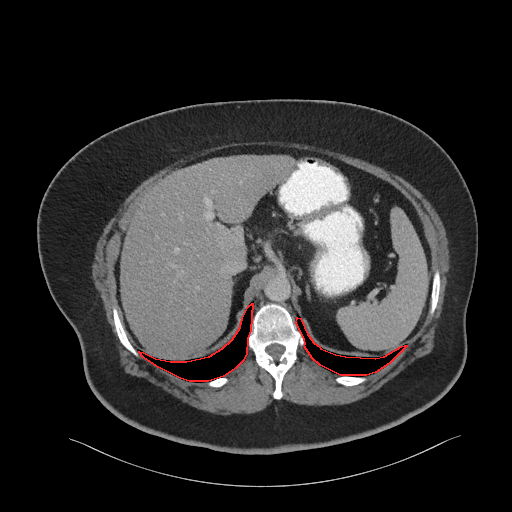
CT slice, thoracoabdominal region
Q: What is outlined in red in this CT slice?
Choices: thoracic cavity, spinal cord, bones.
A: red: thoracic cavity.
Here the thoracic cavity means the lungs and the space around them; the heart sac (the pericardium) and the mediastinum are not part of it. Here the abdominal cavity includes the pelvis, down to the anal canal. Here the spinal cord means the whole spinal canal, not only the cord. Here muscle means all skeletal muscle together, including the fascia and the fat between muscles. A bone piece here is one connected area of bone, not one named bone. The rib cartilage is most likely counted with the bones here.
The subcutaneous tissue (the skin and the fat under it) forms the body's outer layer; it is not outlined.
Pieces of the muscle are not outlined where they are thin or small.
Outlines (x, y in pixels):
thoracic cavity 1: [[252,303],[250,330],[247,338],[246,354],[242,361],[235,368],[223,376],[208,381],[189,381],[180,378],[158,367],[143,357],[139,352],[139,351],[143,352],[155,358],[170,361],[186,361],[209,356],[222,348],[232,339],[240,327],[242,318],[248,306]]
thoracic cavity 2: [[297,317],[300,318],[307,334],[314,343],[319,346],[320,348],[335,354],[345,356],[375,358],[384,356],[401,346],[404,345],[406,345],[406,346],[389,363],[375,372],[366,375],[340,375],[320,365],[312,358],[304,346],[305,344],[304,338],[296,323]]
torso: [[271,98],[335,100],[383,110],[416,125],[449,154],[471,193],[478,223],[477,264],[466,312],[467,356],[458,379],[443,397],[393,427],[313,449],[230,453],[142,431],[98,400],[84,374],[76,333],[46,285],[36,221],[54,175],[100,135],[181,106]]
muscle: [[267,140],[308,144],[344,153],[347,155],[353,157],[357,157],[373,163],[388,171],[399,175],[408,181],[419,190],[431,203],[438,213],[445,226],[446,234],[449,241],[448,245],[450,251],[450,262],[449,263],[450,267],[447,273],[447,284],[445,289],[443,307],[435,332],[434,347],[433,349],[428,354],[416,359],[411,364],[406,367],[405,369],[386,382],[374,392],[356,401],[341,405],[310,406],[309,405],[296,404],[289,401],[282,400],[281,401],[274,401],[263,410],[251,414],[235,414],[234,413],[229,415],[220,415],[195,408],[181,401],[171,394],[167,393],[159,387],[150,383],[144,378],[133,376],[126,373],[124,371],[123,368],[120,366],[119,363],[119,355],[116,348],[114,335],[112,332],[111,327],[106,319],[103,303],[97,290],[94,287],[93,282],[91,279],[91,263],[93,260],[93,255],[94,254],[96,242],[101,234],[104,226],[117,212],[120,205],[125,198],[142,181],[156,171],[178,159],[183,158],[185,156],[192,154],[194,152],[197,152],[206,148],[231,142],[266,141]] with a hole at [[253,146],[308,151],[363,170],[395,187],[422,219],[431,275],[435,269],[440,273],[437,306],[405,348],[361,383],[337,383],[339,375],[320,365],[300,345],[296,362],[283,376],[282,397],[275,399],[274,378],[257,365],[249,348],[242,361],[225,375],[227,382],[212,387],[205,381],[180,378],[135,356],[119,340],[112,313],[115,306],[123,321],[116,263],[122,235],[142,196],[155,182],[188,162],[231,148]]
bones 1: [[266,303],[279,304],[289,311],[304,342],[303,346],[300,345],[296,350],[296,362],[283,376],[281,382],[282,397],[280,399],[275,399],[272,395],[275,389],[274,378],[268,371],[257,365],[253,351],[248,348],[248,338],[251,330],[252,317],[260,306]] with a hole at [[271,344],[280,344],[281,345],[282,345],[284,347],[284,350],[283,351],[283,352],[281,354],[281,355],[278,358],[278,359],[277,360],[277,361],[276,361],[274,359],[274,358],[271,355],[270,355],[266,351],[266,347],[267,346],[268,346]]
bones 2: [[114,306],[115,306],[117,309],[118,315],[120,318],[120,320],[122,322],[127,338],[133,347],[140,354],[141,357],[137,357],[135,356],[120,342],[119,338],[117,335],[117,333],[115,330],[115,326],[114,325],[114,321],[113,320],[112,309]]
bones 3: [[435,269],[438,269],[440,273],[440,285],[439,286],[439,295],[438,296],[437,306],[434,311],[434,313],[432,315],[430,315],[428,313],[429,312],[429,309],[430,308],[430,299],[431,298],[431,291],[432,290],[432,281],[433,280],[433,274],[434,273]]
bones 4: [[339,375],[340,376],[365,376],[366,377],[366,380],[361,383],[359,383],[358,384],[356,384],[355,385],[350,385],[349,386],[347,386],[346,385],[343,385],[342,384],[340,384],[339,383],[337,383],[335,381],[335,378],[337,376],[338,376]]
bones 5: [[224,376],[225,376],[228,379],[228,380],[226,383],[225,383],[222,386],[221,386],[220,387],[212,387],[211,386],[209,386],[206,383],[206,382],[208,382],[211,380],[213,380],[214,379],[216,379],[217,378],[219,378],[220,377],[223,377]]
mediastinum: [[271,273],[282,273],[286,275],[292,284],[292,301],[293,302],[293,306],[298,314],[298,316],[296,317],[295,322],[290,311],[284,305],[275,302],[266,302],[261,304],[254,312],[252,316],[253,301],[255,295],[259,289],[261,281],[265,278],[266,276]]
spinal cord: [[271,344],[280,344],[281,345],[282,345],[284,347],[284,350],[283,351],[283,352],[281,354],[281,355],[278,358],[278,359],[277,360],[277,361],[276,361],[274,359],[274,358],[271,355],[270,355],[266,351],[266,347],[267,346],[268,346]]
abdominal cavity: [[253,146],[331,157],[391,184],[413,204],[423,222],[432,280],[427,315],[407,344],[375,357],[320,347],[294,306],[291,280],[271,272],[260,281],[231,339],[213,353],[170,360],[134,347],[124,327],[115,271],[122,235],[140,199],[155,182],[188,162]]